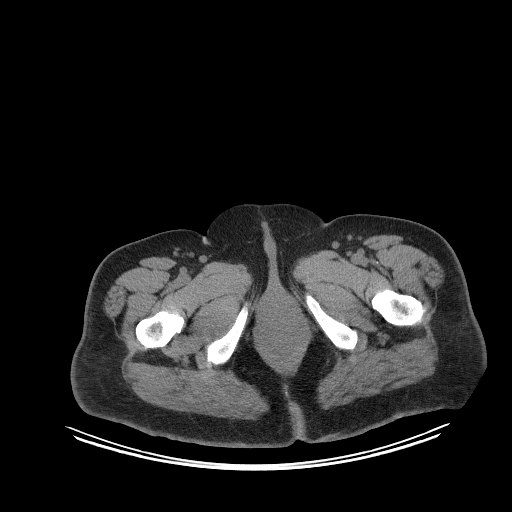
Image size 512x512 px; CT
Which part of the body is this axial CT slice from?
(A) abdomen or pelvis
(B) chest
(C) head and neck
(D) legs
Answer: (A) abdomen or pelvis
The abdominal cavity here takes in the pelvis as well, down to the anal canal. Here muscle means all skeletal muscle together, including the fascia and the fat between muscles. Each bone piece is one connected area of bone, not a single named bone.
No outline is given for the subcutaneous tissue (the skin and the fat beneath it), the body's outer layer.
The torso is outlined by [[277,202],[304,206],[325,221],[357,213],[410,219],[446,239],[464,272],[487,352],[486,367],[463,405],[401,417],[345,439],[297,439],[276,448],[183,442],[83,411],[72,393],[70,365],[101,260],[158,232],[185,228],[204,234],[220,212],[237,204]]. The abdominal cavity is outlined by [[274,302],[281,302],[292,308],[301,318],[305,326],[305,333],[303,338],[303,342],[301,345],[301,349],[293,367],[289,371],[281,371],[279,369],[274,367],[270,363],[264,354],[258,339],[258,327],[260,323],[260,318],[266,308]]. The bones appear in 4 outlined pieces: piece 1: [[386,288],[391,289],[394,291],[396,291],[400,293],[412,295],[421,301],[422,304],[426,308],[426,311],[423,314],[421,321],[419,323],[417,323],[411,326],[395,326],[387,322],[376,310],[374,310],[371,306],[371,298],[375,292],[378,290],[382,290]]; piece 2: [[166,309],[167,310],[177,310],[183,317],[185,324],[182,330],[179,333],[176,333],[171,338],[167,344],[163,347],[144,349],[143,346],[138,341],[135,335],[135,327],[137,323],[141,319],[147,316],[152,315],[160,310],[165,310]]; piece 3: [[306,292],[308,292],[320,304],[321,307],[330,316],[341,322],[347,324],[350,327],[355,329],[357,331],[358,340],[355,347],[352,350],[339,349],[334,345],[330,339],[324,333],[318,323],[315,320],[312,313],[307,307],[306,301],[305,300],[305,293]]; piece 4: [[245,302],[247,302],[248,304],[248,314],[246,319],[246,323],[234,351],[229,359],[225,363],[223,364],[217,364],[216,365],[212,363],[208,364],[207,362],[207,357],[206,356],[206,349],[205,348],[206,345],[215,339],[221,337],[231,327],[237,314]]. The muscle is outlined by [[378,234],[414,241],[444,271],[430,322],[438,346],[431,376],[322,409],[316,402],[316,388],[335,362],[322,333],[314,333],[297,371],[282,377],[254,347],[253,316],[231,367],[267,398],[270,408],[259,419],[166,409],[142,400],[124,381],[121,362],[126,347],[115,335],[103,303],[119,273],[139,258],[167,256],[197,270],[211,261],[242,263],[259,295],[280,285],[291,292],[291,270],[298,258],[325,249],[346,252]] with holes at [[274,302],[281,302],[292,308],[301,318],[305,326],[305,333],[303,338],[303,342],[301,345],[301,349],[293,367],[289,371],[281,371],[279,369],[274,367],[270,363],[264,354],[258,339],[258,327],[260,323],[260,318],[266,308]] and at [[386,288],[391,289],[394,291],[396,291],[400,293],[412,295],[421,301],[422,304],[426,308],[426,311],[423,314],[421,321],[419,323],[417,323],[411,326],[395,326],[387,322],[376,310],[374,310],[371,306],[371,298],[375,292],[378,290],[382,290]] and at [[166,309],[167,310],[177,310],[183,317],[185,324],[182,330],[179,333],[176,333],[171,338],[167,344],[163,347],[144,349],[143,346],[138,341],[135,335],[135,327],[137,323],[141,319],[147,316],[152,315],[160,310],[165,310]] and at [[306,292],[308,292],[320,304],[321,307],[330,316],[341,322],[347,324],[350,327],[355,329],[357,331],[358,340],[355,347],[352,350],[339,349],[334,345],[330,339],[324,333],[318,323],[315,320],[312,313],[307,307],[306,301],[305,300],[305,293]] and at [[245,302],[247,302],[248,304],[248,314],[246,319],[246,323],[234,351],[229,359],[225,363],[223,364],[217,364],[216,365],[212,363],[208,364],[207,362],[207,357],[206,356],[206,349],[205,348],[206,345],[215,339],[221,337],[231,327],[237,314]].